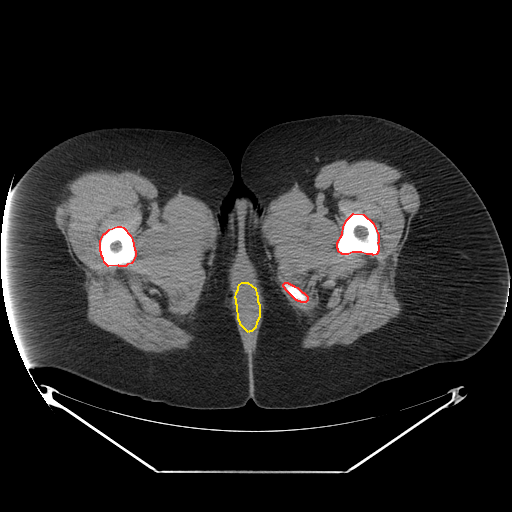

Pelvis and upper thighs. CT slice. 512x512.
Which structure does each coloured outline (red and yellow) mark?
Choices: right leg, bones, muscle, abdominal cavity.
red: bones; yellow: abdominal cavity.
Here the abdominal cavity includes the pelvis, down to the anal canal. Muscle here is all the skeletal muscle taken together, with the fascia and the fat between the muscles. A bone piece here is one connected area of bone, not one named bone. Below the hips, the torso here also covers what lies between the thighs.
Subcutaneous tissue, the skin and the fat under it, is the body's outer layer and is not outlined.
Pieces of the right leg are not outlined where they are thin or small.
{"bones":[[[353,213],[363,214],[373,223],[378,235],[378,242],[377,243],[378,245],[378,251],[376,254],[373,255],[372,254],[366,254],[361,252],[352,252],[348,254],[342,254],[338,251],[338,249],[337,248],[337,242],[342,234],[343,226],[347,219]],[[117,226],[121,226],[123,227],[130,235],[132,239],[134,249],[135,250],[135,256],[131,263],[127,264],[125,266],[119,266],[118,265],[108,266],[104,262],[103,258],[101,255],[101,252],[100,251],[100,240],[104,233],[105,233],[109,229]],[[285,282],[287,282],[288,283],[289,283],[290,284],[291,284],[292,285],[293,285],[294,286],[297,287],[302,292],[303,292],[307,296],[307,300],[305,302],[301,302],[300,301],[298,301],[297,300],[296,300],[285,289],[285,288],[283,286],[283,284]]],"abdominal_cavity":[[[242,282],[247,282],[255,288],[256,294],[257,295],[257,301],[259,304],[259,317],[256,322],[255,327],[251,331],[249,331],[248,332],[240,324],[240,322],[238,319],[237,305],[236,304],[236,299],[235,298],[236,292],[238,289],[238,286],[239,284]]],"muscle":[{"outer":[[99,169],[137,171],[163,187],[202,200],[211,209],[217,224],[216,246],[211,260],[211,275],[204,286],[189,329],[196,338],[190,349],[173,353],[148,353],[88,322],[84,309],[84,274],[73,261],[64,236],[55,224],[54,215],[63,186],[83,172]],"hole":[[117,226],[121,226],[123,227],[130,235],[132,239],[134,249],[135,250],[135,256],[131,263],[127,264],[125,266],[119,266],[118,265],[108,266],[104,262],[103,258],[101,255],[101,252],[100,251],[100,240],[104,233],[105,233],[109,229]]},{"outer":[[339,159],[373,159],[391,165],[410,178],[419,194],[419,209],[411,220],[398,257],[395,276],[397,295],[403,306],[398,317],[351,344],[334,345],[321,351],[301,349],[299,342],[304,329],[297,313],[271,278],[261,225],[273,199],[297,186],[323,165]],"holes":[[[353,213],[363,214],[373,223],[378,235],[378,242],[377,243],[378,245],[378,251],[376,254],[373,255],[372,254],[366,254],[361,252],[352,252],[348,254],[342,254],[338,251],[338,249],[337,248],[337,242],[342,234],[343,226],[347,219]],[[285,282],[287,282],[288,283],[289,283],[290,284],[291,284],[292,285],[293,285],[294,286],[297,287],[302,292],[303,292],[307,296],[307,300],[305,302],[301,302],[300,301],[298,301],[297,300],[296,300],[285,289],[285,288],[283,286],[283,284]]]},{"outer":[[240,256],[246,257],[251,263],[256,278],[258,280],[260,293],[263,296],[264,304],[266,307],[263,311],[263,317],[259,327],[255,349],[251,353],[248,353],[245,350],[237,328],[235,318],[232,314],[233,310],[231,307],[231,268],[233,261]],"hole":[[242,282],[247,282],[255,288],[256,294],[257,295],[257,301],[259,304],[259,317],[256,322],[255,327],[251,331],[249,331],[248,332],[240,324],[240,322],[238,319],[237,305],[236,304],[236,299],[235,298],[236,292],[238,289],[238,286],[239,284]]}],"torso":[[[338,113],[373,115],[404,125],[433,143],[465,175],[486,206],[507,258],[509,279],[503,316],[490,340],[465,360],[433,364],[323,405],[262,408],[250,399],[250,350],[237,310],[223,226],[235,199],[250,194],[240,177],[240,162],[255,136],[281,122]]],"right_leg":[[[121,126],[187,132],[219,148],[230,162],[234,182],[221,206],[219,220],[236,310],[246,335],[250,357],[249,399],[244,406],[191,409],[143,400],[58,368],[28,367],[19,353],[8,321],[0,279],[0,232],[15,184],[44,152],[64,139],[92,129]]]}